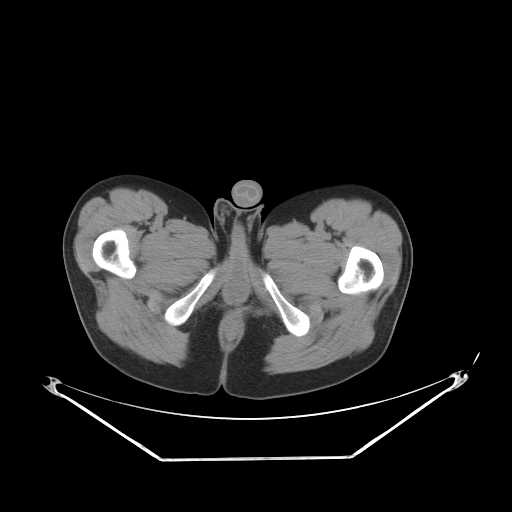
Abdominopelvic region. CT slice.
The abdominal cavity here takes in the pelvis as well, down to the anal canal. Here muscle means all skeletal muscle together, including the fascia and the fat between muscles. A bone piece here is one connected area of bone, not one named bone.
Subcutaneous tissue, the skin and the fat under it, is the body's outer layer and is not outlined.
{"torso":[[[123,173],[186,191],[211,220],[215,200],[231,200],[242,179],[261,185],[263,218],[297,193],[334,183],[385,194],[406,223],[413,267],[384,355],[338,385],[267,400],[238,398],[222,387],[211,396],[176,393],[118,371],[82,326],[62,235],[82,192]]],"muscle":[{"outer":[[117,186],[147,189],[188,221],[203,226],[221,262],[259,262],[269,226],[291,219],[323,200],[346,195],[371,200],[390,214],[402,234],[401,271],[375,323],[372,343],[357,355],[315,369],[269,375],[261,370],[263,357],[278,335],[270,316],[247,317],[242,338],[227,353],[218,339],[218,325],[225,310],[204,305],[189,332],[191,359],[185,367],[158,364],[119,347],[97,327],[94,288],[73,253],[82,206],[95,194]],"holes":[[[354,245],[363,246],[370,250],[372,250],[378,255],[382,262],[384,276],[381,284],[376,289],[367,291],[366,292],[362,292],[359,294],[348,294],[347,293],[343,293],[339,290],[337,284],[337,279],[342,273],[345,267],[345,264],[349,251],[351,247]],[[115,228],[121,228],[124,230],[126,233],[126,236],[128,240],[129,250],[130,251],[130,258],[134,262],[136,266],[135,275],[132,278],[129,279],[122,278],[107,270],[100,268],[96,264],[92,257],[92,247],[93,246],[93,243],[97,236],[105,231]],[[260,270],[262,270],[268,273],[270,275],[282,295],[291,304],[297,307],[309,316],[309,318],[310,319],[310,327],[306,334],[301,336],[296,336],[287,330],[283,323],[282,318],[280,315],[280,313],[277,306],[275,304],[271,295],[266,289],[262,281]],[[214,267],[217,267],[216,274],[211,283],[206,288],[204,292],[196,302],[193,308],[193,310],[189,317],[185,321],[185,322],[180,325],[171,325],[169,324],[164,319],[164,312],[166,308],[176,300],[187,294],[198,283],[199,280],[210,269]],[[231,314],[232,315],[237,316],[238,318],[238,322],[239,323],[239,335],[237,339],[236,339],[235,341],[231,344],[231,345],[229,345],[228,346],[224,343],[224,341],[222,338],[222,332],[221,331],[223,328],[223,324],[225,319],[228,315],[230,315]]]}],"abdominal_cavity":[[[231,314],[232,315],[237,316],[238,318],[238,322],[239,323],[239,335],[237,339],[236,339],[235,341],[231,344],[231,345],[229,345],[228,346],[224,343],[224,341],[222,338],[222,332],[221,331],[223,328],[223,324],[225,319],[228,315],[230,315]]],"bones":[[[354,245],[363,246],[370,250],[372,250],[378,255],[382,262],[384,276],[381,284],[376,289],[367,291],[366,292],[362,292],[359,294],[348,294],[347,293],[343,293],[339,290],[337,284],[337,279],[342,273],[345,267],[345,264],[349,251],[351,247]],[[115,228],[121,228],[124,230],[126,233],[126,236],[128,240],[129,250],[130,251],[130,258],[134,262],[136,266],[135,275],[132,278],[129,279],[122,278],[107,270],[100,268],[96,264],[92,257],[92,247],[93,246],[93,243],[97,236],[105,231]],[[260,270],[262,270],[268,273],[270,275],[282,295],[291,304],[297,307],[309,316],[309,318],[310,319],[310,327],[306,334],[301,336],[296,336],[287,330],[283,323],[282,318],[280,315],[280,313],[277,306],[275,304],[271,295],[266,289],[262,281]],[[214,267],[217,267],[216,274],[211,283],[206,288],[204,292],[196,302],[193,308],[193,310],[189,317],[185,321],[185,322],[180,325],[171,325],[169,324],[164,319],[164,312],[166,308],[176,300],[187,294],[198,283],[199,280],[210,269]]]}